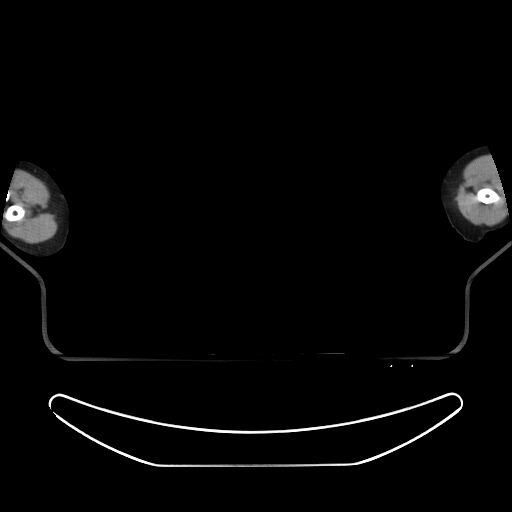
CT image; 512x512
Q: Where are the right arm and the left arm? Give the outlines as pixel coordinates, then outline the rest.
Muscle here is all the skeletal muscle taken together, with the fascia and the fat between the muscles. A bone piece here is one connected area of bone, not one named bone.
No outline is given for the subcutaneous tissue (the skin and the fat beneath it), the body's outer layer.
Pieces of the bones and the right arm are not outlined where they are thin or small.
A: {"right_arm":[[[20,159],[29,160],[44,168],[52,176],[58,184],[63,192],[70,207],[70,211],[71,212],[70,225],[65,243],[59,251],[49,256],[38,257],[30,255],[10,243],[1,233],[2,219],[6,203],[7,193],[12,181],[14,170]]],"left_arm":[[[480,145],[486,145],[487,146],[491,158],[493,160],[493,163],[497,171],[499,180],[503,188],[509,221],[508,224],[504,227],[494,231],[488,232],[479,242],[474,243],[464,240],[451,226],[440,199],[439,186],[442,177],[450,165],[461,154],[474,147]]],"muscle":[[[18,169],[26,170],[45,182],[51,194],[50,211],[56,215],[58,228],[52,238],[38,244],[26,244],[13,238],[2,226],[2,219],[8,222],[16,222],[22,220],[26,213],[26,210],[19,203],[9,204],[4,210],[11,194],[9,189],[10,184]],{"outer":[[483,154],[488,154],[491,156],[491,158],[493,160],[493,163],[497,171],[499,180],[503,188],[507,208],[507,214],[505,218],[498,224],[493,226],[476,227],[470,224],[461,215],[453,201],[453,197],[458,184],[462,180],[461,173],[465,165],[472,159]],"hole":[[486,187],[491,188],[495,191],[496,191],[499,194],[500,194],[501,195],[500,196],[500,201],[498,202],[495,202],[494,203],[489,203],[488,204],[487,203],[484,203],[481,201],[478,201],[476,199],[476,194],[478,190],[479,190],[481,188],[485,188]]}],"bones":[[[486,187],[491,188],[495,191],[496,191],[499,194],[500,194],[501,195],[500,196],[500,201],[498,202],[495,202],[494,203],[489,203],[488,204],[487,203],[484,203],[481,201],[478,201],[476,199],[476,194],[478,190],[479,190],[481,188],[485,188]],[[12,204],[19,204],[20,205],[21,205],[22,206],[22,207],[25,210],[25,213],[24,214],[24,216],[22,219],[21,219],[20,220],[17,220],[16,221],[8,221],[7,220],[6,220],[3,218],[3,213],[4,212],[5,209],[9,205],[11,205]]]}